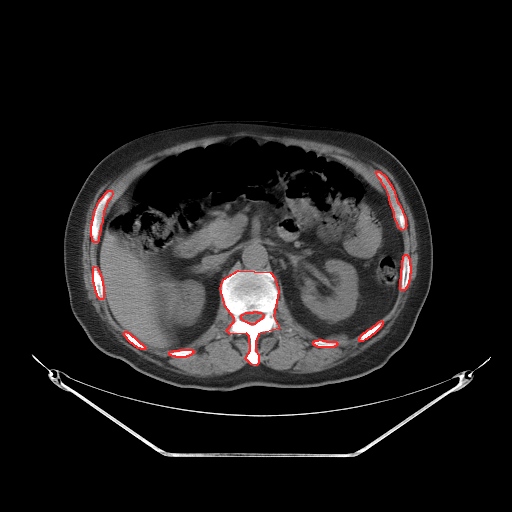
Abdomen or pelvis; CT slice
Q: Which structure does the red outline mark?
A: red: bones.
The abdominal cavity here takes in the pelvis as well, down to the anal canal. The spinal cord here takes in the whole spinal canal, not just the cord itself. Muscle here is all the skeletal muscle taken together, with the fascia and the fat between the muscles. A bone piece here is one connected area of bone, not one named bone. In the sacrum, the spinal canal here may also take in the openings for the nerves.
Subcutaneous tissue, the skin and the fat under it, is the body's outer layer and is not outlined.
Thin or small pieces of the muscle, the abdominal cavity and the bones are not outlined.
The bones appear in 9 outlined pieces: piece 1: 238,270 270,272 274,277 278,291 273,316 279,328 258,334 255,341 255,350 258,354 258,363 256,365 251,364 245,358 250,350 249,336 246,333 230,334 226,330 234,321 234,318 225,306 220,288 223,279, around a hole outlined by 254,311 256,311 257,312 260,312 263,314 263,316 262,317 262,318 261,319 260,319 258,321 257,321 254,324 250,324 249,323 248,323 247,322 246,322 241,319 241,315 242,314 243,314 246,312 253,312; piece 2: 376,171 379,171 385,176 393,189 397,202 399,204 405,218 405,224 406,225 405,226 405,228 402,230 398,227 398,224 394,217 394,212 390,203 388,193 385,187 383,185 381,180 378,177 376,173; piece 3: 108,190 111,190 112,194 110,198 107,201 103,211 102,221 100,226 100,230 99,231 98,240 97,242 94,242 92,240 92,237 91,236 91,225 92,224 92,220 93,219 94,212 99,200; piece 4: 405,254 406,254 408,256 408,257 409,258 409,264 410,265 410,273 409,274 409,280 408,281 407,286 405,288 405,289 404,290 401,290 400,289 400,279 401,278 401,269 402,268 402,260 403,259 403,256; piece 5: 94,266 97,267 97,269 99,271 99,273 101,276 101,279 102,280 102,284 103,285 103,298 102,299 100,299 97,296 97,294 96,293 96,291 95,290 95,287 94,286 94,283 93,282 93,267; piece 6: 381,320 382,321 382,324 381,325 381,326 373,334 372,334 369,337 368,337 366,339 365,339 362,341 359,341 359,338 360,337 360,336 364,332 365,332 368,329 371,328 374,325 375,325 379,321 380,321; piece 7: 180,349 191,349 192,350 193,350 193,353 192,353 190,355 189,355 188,356 186,356 185,357 176,357 175,356 172,356 171,355 170,355 169,354 169,352 170,351 173,351 174,350 179,350; piece 8: 319,339 321,339 322,340 325,340 326,341 335,341 337,343 337,344 335,346 334,346 333,347 318,347 317,346 316,346 315,345 314,345 313,344 313,341 314,341 315,340 318,340; piece 9: 125,331 126,331 127,332 128,332 132,336 133,336 140,343 141,343 145,347 145,348 144,349 141,349 140,348 138,348 136,346 135,346 132,343 131,343 127,339 127,338 124,335 124,332. The torso is outlined by 213,120 270,120 353,131 387,149 410,173 430,222 432,277 410,336 383,366 354,379 314,387 205,390 175,386 143,374 105,354 88,339 71,311 63,265 65,224 79,189 97,163 122,144 154,131. The abdominal cavity is outlined by 238,136 276,140 329,155 386,194 403,237 399,289 391,308 361,334 335,340 318,337 294,318 282,287 268,270 238,269 226,275 220,284 212,323 183,348 148,347 110,313 96,255 101,226 113,204 156,159. The muscle is outlined by 243,131 321,142 369,159 393,175 412,213 418,261 416,276 403,308 383,337 333,367 310,373 290,373 257,365 259,354 256,341 259,334 280,328 274,316 279,298 278,287 281,287 293,318 319,338 312,341 314,346 333,348 338,344 336,340 357,336 359,342 366,340 382,326 381,319 392,308 399,290 404,291 410,280 410,258 404,254 402,233 407,225 406,218 391,183 379,170 375,173 387,195 341,160 294,143 238,135 158,157 129,184 103,219 106,205 113,194 108,189 98,200 90,225 91,240 96,243 96,266 92,267 96,296 104,300 109,313 125,330 123,335 131,344 141,350 147,347 169,351 168,354 176,358 190,356 194,350 184,348 213,323 221,296 233,318 225,330 230,335 248,336 249,350 244,358 252,365 209,377 166,369 141,357 120,342 87,298 81,260 83,230 89,205 99,188 137,161 158,151 191,140. The spinal cord is outlined by 254,311 256,311 257,312 260,312 263,314 263,316 262,317 262,318 261,319 260,319 258,321 257,321 254,324 250,324 249,323 248,323 247,322 246,322 241,319 241,315 242,314 243,314 246,312 253,312.